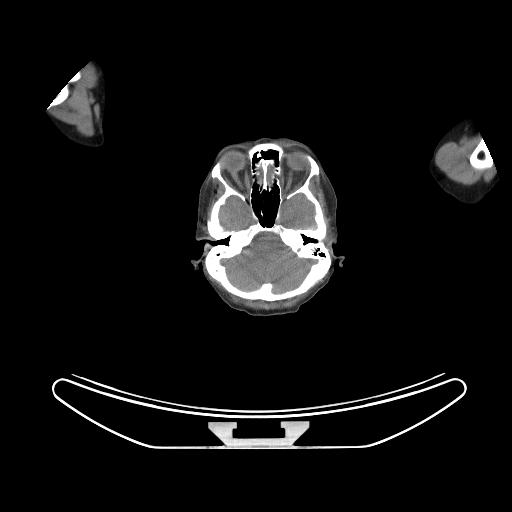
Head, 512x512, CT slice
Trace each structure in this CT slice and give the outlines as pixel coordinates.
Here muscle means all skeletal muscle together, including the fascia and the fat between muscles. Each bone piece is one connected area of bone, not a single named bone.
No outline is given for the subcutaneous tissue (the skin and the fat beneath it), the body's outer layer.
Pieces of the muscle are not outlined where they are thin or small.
{"left_arm":[[[465,116],[470,117],[480,133],[481,137],[484,140],[491,156],[493,158],[493,163],[495,165],[499,179],[499,181],[495,187],[480,202],[471,205],[462,203],[446,193],[438,185],[428,169],[429,160],[432,156],[433,150],[438,141],[453,125]]],"brain":[[[260,233],[271,233],[276,235],[280,241],[298,258],[311,259],[315,261],[309,266],[307,272],[296,286],[276,292],[273,290],[274,284],[269,281],[263,282],[258,287],[253,289],[243,289],[235,285],[230,280],[227,268],[222,263],[222,260],[239,255]],[[298,194],[302,194],[313,206],[313,221],[314,222],[314,225],[313,226],[310,225],[306,227],[299,227],[296,228],[295,227],[284,225],[280,221],[282,215],[282,209],[284,207],[284,205],[287,201],[290,200],[294,196]],[[231,196],[235,196],[239,198],[241,201],[244,204],[245,204],[246,206],[247,206],[247,209],[249,212],[249,215],[253,221],[246,227],[240,228],[239,229],[227,229],[223,225],[222,225],[220,221],[219,214],[220,213],[221,207],[226,203],[228,198]]],"head":[{"outer":[[263,136],[300,141],[317,155],[337,198],[338,237],[333,251],[344,255],[343,265],[335,261],[329,281],[312,299],[296,312],[272,316],[231,308],[208,283],[201,266],[195,270],[191,263],[200,257],[204,244],[195,240],[198,195],[214,157],[228,144]],"holes":[[[254,185],[257,186],[257,191],[261,195],[264,192],[270,193],[275,186],[277,188],[278,202],[275,210],[273,221],[269,225],[266,223],[264,223],[261,220],[261,218],[264,216],[263,210],[259,209],[258,211],[256,211],[253,206],[252,196],[253,195]],[[270,150],[271,151],[275,151],[277,153],[277,154],[276,155],[276,157],[265,157],[263,155],[263,152],[267,152],[268,151],[269,151]]]}],"right_arm":[[[95,58],[98,58],[105,66],[105,68],[107,71],[107,85],[105,91],[105,111],[103,118],[104,141],[101,146],[93,148],[92,147],[86,147],[77,144],[64,136],[49,119],[46,115],[45,111],[50,103],[69,80],[77,72],[85,66],[88,62]]],"bones":[{"outer":[[264,142],[277,143],[283,149],[281,178],[285,193],[293,191],[306,179],[310,165],[305,154],[311,156],[318,165],[319,174],[311,179],[309,188],[322,208],[326,223],[325,244],[331,257],[327,273],[307,291],[290,298],[272,301],[246,299],[230,293],[208,273],[204,265],[210,247],[207,219],[213,204],[224,191],[221,182],[211,176],[212,168],[220,161],[220,172],[223,178],[234,189],[246,194],[251,177],[248,150]],"holes":[[[260,233],[271,233],[276,235],[280,241],[298,258],[311,259],[315,261],[309,266],[307,272],[296,286],[276,292],[273,290],[274,284],[269,281],[263,282],[258,287],[253,289],[243,289],[235,285],[230,280],[227,268],[222,263],[222,260],[239,255]],[[298,194],[302,194],[313,206],[313,221],[314,222],[314,225],[313,226],[310,225],[306,227],[299,227],[296,228],[295,227],[284,225],[280,221],[282,215],[282,209],[284,207],[284,205],[287,201],[290,200],[294,196]],[[231,196],[235,196],[239,198],[241,201],[244,204],[245,204],[246,206],[247,206],[247,209],[249,212],[249,215],[253,221],[246,227],[240,228],[239,229],[227,229],[223,225],[222,225],[220,221],[219,214],[220,213],[221,207],[226,203],[228,198]],[[254,185],[257,186],[257,191],[261,195],[264,192],[270,193],[275,186],[277,188],[278,202],[275,210],[273,221],[269,225],[266,223],[264,223],[261,220],[261,218],[264,216],[263,210],[259,209],[258,211],[256,211],[253,206],[252,196],[253,195]],[[270,150],[271,151],[275,151],[277,153],[277,154],[276,155],[276,157],[265,157],[263,155],[263,152],[267,152],[268,151],[269,151]]]},[[481,137],[484,140],[491,154],[491,156],[493,158],[493,163],[494,164],[493,164],[491,166],[491,167],[489,168],[486,168],[485,169],[475,169],[471,166],[469,162],[469,157],[471,153],[473,151],[473,150],[478,144]],[[79,71],[80,71],[80,77],[77,80],[72,82],[69,85],[68,87],[69,89],[69,93],[66,99],[61,103],[54,105],[48,109],[47,108],[48,106],[54,99],[57,94],[61,90],[61,89],[69,81],[69,80],[71,78],[72,78],[77,72]]],"muscle":[[[88,62],[90,62],[96,68],[99,75],[98,84],[94,90],[94,94],[99,104],[100,118],[95,133],[91,136],[84,136],[80,134],[72,125],[56,118],[50,112],[50,110],[52,107],[61,104],[67,99],[70,93],[70,85],[81,77],[80,70]],[[466,134],[469,136],[476,135],[480,137],[468,157],[470,166],[475,170],[485,170],[495,165],[497,171],[494,172],[493,177],[488,182],[480,180],[471,185],[456,183],[450,180],[435,165],[435,157],[439,148],[444,143],[448,141],[457,141],[460,137]],[[210,276],[214,280],[218,282],[230,294],[246,300],[261,300],[267,302],[280,301],[293,298],[307,292],[320,280],[323,278],[323,280],[314,287],[305,297],[293,306],[285,308],[276,308],[275,309],[254,309],[238,303],[235,303],[229,299],[211,279]],[[211,177],[213,179],[217,179],[220,182],[223,187],[223,191],[212,204],[208,216],[206,219],[206,228],[209,238],[207,237],[202,231],[202,223],[203,222],[202,215],[203,214],[204,200],[206,198],[206,192],[208,187],[208,183],[210,181],[210,178]],[[320,174],[321,179],[323,182],[323,187],[325,190],[325,193],[329,204],[329,210],[332,218],[331,219],[332,229],[327,239],[327,223],[325,219],[325,215],[323,211],[323,208],[320,202],[310,188],[310,184],[312,179],[314,177],[318,176]]]}